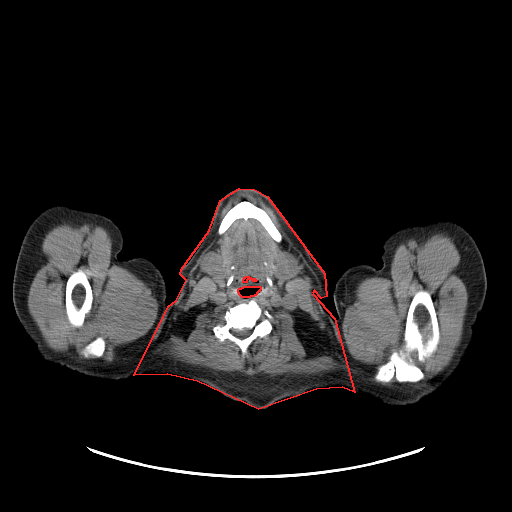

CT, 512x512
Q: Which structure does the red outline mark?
A: red: head and neck.
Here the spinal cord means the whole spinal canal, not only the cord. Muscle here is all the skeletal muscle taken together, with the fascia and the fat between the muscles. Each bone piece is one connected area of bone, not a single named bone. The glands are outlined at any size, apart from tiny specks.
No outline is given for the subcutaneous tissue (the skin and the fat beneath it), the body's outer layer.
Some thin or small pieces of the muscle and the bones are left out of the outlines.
Outlined structures:
head and neck: 239,188 254,189 267,196 324,273 326,296 321,298 314,290 312,293 334,318 354,392 342,387 316,389 258,409 197,381 167,374 134,375 168,306 176,300 186,280 180,274 181,269 209,230 220,200, around holes outlined by 244,286 259,286 260,287 260,289 259,290 259,291 258,291 256,293 256,294 255,295 254,295 253,296 250,296 249,297 242,297 239,294 239,293 238,292 238,289 239,288 241,288 242,287 243,287 and by 246,276 248,276 249,277 250,277 251,278 254,278 256,280 255,281 253,281 251,279 250,279 249,278 248,278 246,280 246,282 243,282 243,279 244,278 244,277 245,277
muscle 1: 238,194 259,197 271,208 317,277 320,288 311,288 311,300 344,362 344,371 337,370 319,375 271,376 261,373 249,376 235,371 226,372 194,366 151,352 164,340 174,317 187,303 190,295 189,274 216,230 222,235 237,219 251,218 258,221 277,243 282,241 282,234 269,214 262,207 246,199 235,203 222,217 218,226 222,209 230,198; inner edges: 251,298 254,298 262,309 267,310 272,315 273,318 270,320 272,329 268,334 262,337 256,337 249,345 247,353 244,356 240,348 231,340 225,339 221,342 219,341 212,329 220,321 226,310 238,303 245,303, then 280,252 287,252 289,254 290,254 292,256 293,256 293,257 296,260 296,262 297,263 297,269 296,270 296,272 295,272 292,276 291,276 288,278 286,278 285,279 279,279 274,273 274,265 276,263 276,255, then 208,252 216,252 219,255 219,257 221,260 221,263 223,267 223,270 224,271 224,276 223,277 214,277 213,276 211,276 209,274 206,273 202,270 201,268 201,262 202,261 202,258 206,254 207,254, then 244,286 259,286 260,287 260,289 259,290 259,291 258,291 256,293 256,294 255,295 254,295 253,296 250,296 249,297 242,297 239,294 239,293 238,292 238,289 239,288 241,288 242,287 243,287, then 231,274 233,274 233,275 234,276 234,277 233,278 233,279 232,280 232,281 231,282 231,283 230,284 230,285 229,286 227,286 227,280 228,279 228,278 229,277 229,276, then 267,276 268,276 269,276 270,277 270,278 271,279 271,280 272,281 272,282 272,283 272,284 272,285 271,286 270,286 269,285 268,284 268,283 267,282 267,281 266,280 266,279 266,278 266,277, then 246,276 248,276 249,277 250,277 251,278 254,278 256,280 255,281 253,281 251,279 250,279 249,278 248,278 246,280 246,282 243,282 243,279 244,278 244,277 245,277
muscle 2: 436,231 445,231 451,236 461,254 468,293 468,306 461,342 450,363 431,377 421,388 391,389 372,383 363,377 357,364 347,352 341,329 352,291 360,280 382,275 388,269 394,251 401,242 411,237 419,237; inner edge: 420,290 426,290 432,298 440,334 437,350 424,362 420,362 415,353 412,354 414,363 424,374 421,380 415,382 398,382 393,378 386,383 377,382 373,378 375,368 385,363 390,355 401,347 408,309 415,293
muscle 3: 63,220 91,222 104,227 112,238 111,258 113,261 148,283 158,302 157,318 152,328 145,335 128,343 120,351 117,358 111,362 88,363 51,349 46,345 28,312 27,296 31,281 40,267 42,239 52,226 with holes at 79,268 81,269 87,276 87,278 91,286 93,298 92,299 92,306 91,309 89,313 86,315 83,325 81,327 77,328 76,327 73,327 69,323 67,319 66,308 65,307 65,289 66,288 67,279 74,271 and at 99,336 102,337 104,339 105,341 105,343 106,344 106,349 103,355 101,357 99,357 95,359 87,359 86,358 84,358 81,355 80,353 81,350 87,344 88,344 94,339 95,339
right arm: 60,204 97,212 112,219 123,237 122,249 117,254 117,258 121,261 134,257 147,258 159,269 165,280 167,307 163,320 135,372 126,379 109,380 91,377 45,360 16,315 12,300 12,283 23,237 41,212
bones 1: 420,290 426,290 432,298 440,334 437,350 424,362 420,362 415,353 412,354 414,363 424,374 421,380 415,382 398,382 393,378 386,383 377,382 373,378 375,368 385,363 390,355 401,347 408,309 415,293
bones 2: 251,298 254,298 262,309 267,310 272,315 273,318 270,320 272,329 268,334 262,337 256,337 249,345 247,353 244,356 240,348 231,340 225,339 221,342 219,341 212,329 220,321 226,310 238,303 245,303, around a hole outlined by 243,328 247,328 248,329 251,329 251,332 250,333 250,334 248,336 247,336 246,337 244,337 243,338 240,338 239,337 237,337 236,336 235,336 231,332 231,329 237,329 238,330 241,330
bones 3: 79,268 81,269 87,276 87,278 91,286 93,298 92,299 92,306 91,309 89,313 86,315 83,325 81,327 77,328 76,327 73,327 69,323 67,319 66,308 65,307 65,289 66,288 67,279 74,271
bones 4: 243,200 249,201 255,205 262,208 268,214 275,226 281,234 282,238 280,242 277,242 268,233 258,220 251,217 246,219 244,218 237,218 232,222 228,228 222,234 219,234 217,232 220,222 226,213 235,204
bones 5: 99,336 102,337 104,339 105,341 105,343 106,344 106,349 103,355 101,357 99,357 95,359 87,359 86,358 84,358 81,355 80,353 81,350 87,344 88,344 94,339 95,339
submandibular glands 1: 280,252 287,252 289,254 290,254 292,256 293,256 293,257 296,260 296,262 297,263 297,269 296,270 296,272 295,272 292,276 291,276 288,278 286,278 285,279 279,279 274,273 274,265 276,263 276,255
submandibular glands 2: 208,252 216,252 219,255 219,257 221,260 221,263 223,267 223,270 224,271 224,276 223,277 214,277 213,276 211,276 209,274 206,273 202,270 201,268 201,262 202,261 202,258 206,254 207,254
left arm: 438,219 459,224 476,242 486,273 484,304 473,327 471,342 452,375 436,390 415,403 384,404 354,390 335,324 337,313 333,297 334,286 342,273 356,264 369,264 380,269 383,265 381,258 383,244 397,230
spinal cord: 243,328 247,328 248,329 251,329 251,332 250,333 250,334 248,336 247,336 246,337 244,337 243,338 240,338 239,337 237,337 236,336 235,336 231,332 231,329 237,329 238,330 241,330